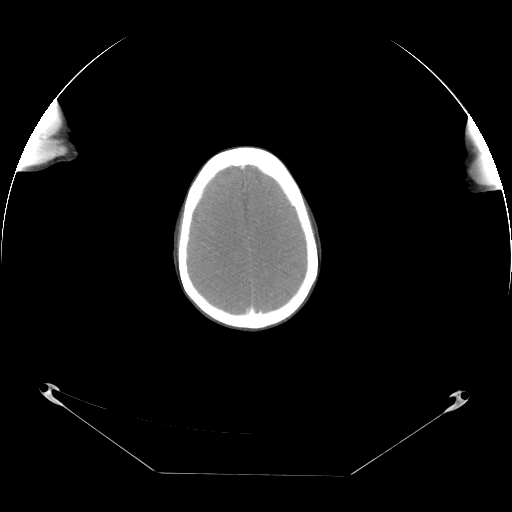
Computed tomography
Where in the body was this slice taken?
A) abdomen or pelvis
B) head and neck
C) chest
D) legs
B) head and neck
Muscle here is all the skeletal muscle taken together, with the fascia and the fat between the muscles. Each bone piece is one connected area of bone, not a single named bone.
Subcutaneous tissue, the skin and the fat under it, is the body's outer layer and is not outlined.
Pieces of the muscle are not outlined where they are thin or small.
The left arm is outlined by 468 113; 469 113; 472 120; 475 122; 475 125; 481 133; 489 149; 494 161; 499 179; 501 180; 500 182; 502 189; 497 189; 482 193; 473 193; 470 192; 467 188; 467 183; 464 180; 465 174; 462 164; 462 161; 465 155; 462 139. The muscle appears in 2 outlined pieces: piece 1: 50 104; 51 104; 63 122; 64 130; 65 131; 65 136; 66 137; 66 143; 68 147; 68 153; 66 155; 57 156; 41 164; 37 164; 36 165; 20 165; 18 164; 19 160; 21 157; 21 154; 31 133; 33 131; 41 116; piece 2: 472 121; 475 122; 475 125; 481 133; 489 149; 489 151; 492 156; 499 176; 499 180; 498 181; 496 181; 489 185; 481 185; 477 183; 472 178; 470 174; 470 170; 469 169; 470 168; 470 164; 472 161; 473 153; 466 134; 472 123. The bones are outlined by 239 146; 253 146; 265 149; 273 153; 285 164; 297 182; 304 198; 318 253; 317 276; 301 305; 285 319; 260 328; 236 327; 228 325; 206 314; 185 292; 178 269; 178 241; 183 217; 183 206; 188 189; 201 167; 210 157; 220 151 with a hole at 248 165; 256 167; 262 173; 272 178; 294 208; 305 242; 306 265; 297 289; 283 304; 267 311; 256 311; 251 307; 243 313; 232 313; 211 303; 194 285; 188 270; 188 243; 193 214; 208 183; 218 172; 226 168; 232 166; 244 168. The brain is outlined by 248 165; 256 167; 262 173; 272 178; 294 208; 305 242; 306 265; 297 289; 283 304; 267 311; 256 311; 251 307; 243 313; 232 313; 211 303; 194 285; 188 270; 188 243; 193 214; 208 183; 218 172; 226 168; 232 166; 244 168. The head is outlined by 246 144; 267 148; 285 163; 313 210; 319 228; 323 255; 322 268; 317 285; 313 295; 303 309; 286 323; 261 332; 241 332; 227 329; 203 317; 194 309; 182 293; 176 280; 172 263; 174 221; 192 178; 202 163; 214 152; 229 146. The right arm is outlined by 54 98; 63 106; 63 109; 65 111; 65 113; 73 131; 72 137; 79 150; 78 156; 71 161; 68 162; 64 161; 58 162; 40 171; 35 171; 34 172; 15 171; 16 165; 19 162; 21 154; 31 133; 41 116; 50 105.